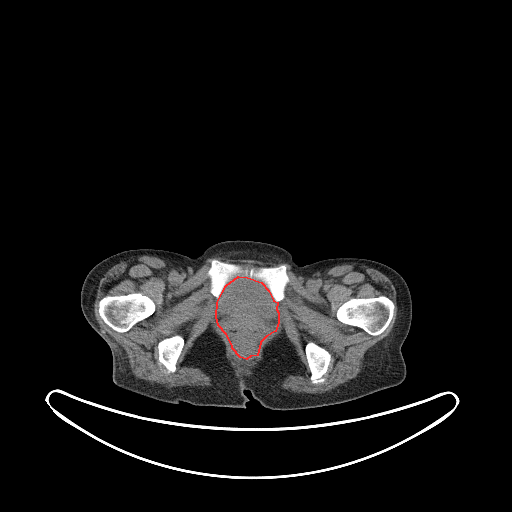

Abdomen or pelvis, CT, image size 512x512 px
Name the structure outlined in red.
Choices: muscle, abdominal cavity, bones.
red: abdominal cavity.
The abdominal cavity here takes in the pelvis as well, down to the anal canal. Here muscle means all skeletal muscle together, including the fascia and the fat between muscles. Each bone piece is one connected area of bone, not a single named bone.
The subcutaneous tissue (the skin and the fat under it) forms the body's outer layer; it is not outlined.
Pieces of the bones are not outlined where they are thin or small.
{"abdominal_cavity":[[[238,276],[247,277],[261,282],[268,290],[273,300],[277,302],[276,309],[278,312],[278,322],[275,331],[266,336],[260,342],[257,355],[250,356],[246,359],[240,357],[232,348],[232,345],[226,334],[218,325],[216,316],[217,302],[222,292],[226,285]]],"torso":[[[227,240],[277,245],[300,265],[328,258],[365,258],[398,272],[412,303],[411,325],[401,347],[404,380],[351,401],[294,410],[265,408],[248,390],[245,408],[232,408],[169,403],[116,385],[111,350],[80,305],[88,272],[124,250],[161,249],[194,258]]],"bones":[[[212,259],[217,259],[226,263],[239,264],[244,268],[249,269],[253,267],[275,267],[285,264],[289,281],[284,289],[284,298],[275,301],[269,290],[261,281],[243,275],[238,275],[231,279],[225,285],[219,297],[215,297],[210,292],[210,278],[207,274]],[[381,295],[386,296],[389,298],[392,301],[394,305],[394,308],[393,309],[393,316],[388,326],[384,331],[380,334],[378,335],[371,335],[359,327],[345,324],[338,320],[336,316],[337,309],[344,302],[349,299],[351,298],[369,298],[370,297],[377,297]],[[136,292],[139,292],[144,295],[148,296],[154,302],[155,304],[155,310],[154,312],[148,317],[137,322],[125,332],[118,332],[112,329],[104,322],[99,314],[99,301],[103,297],[107,295],[111,295],[112,296],[114,295],[125,295],[126,294],[135,293]],[[309,341],[312,341],[318,344],[320,346],[323,347],[326,349],[331,355],[331,358],[330,359],[327,370],[323,375],[323,377],[325,380],[321,383],[317,383],[316,384],[314,384],[312,383],[310,379],[310,370],[308,366],[307,358],[305,353],[305,346]],[[176,334],[182,336],[184,340],[184,343],[181,352],[176,362],[176,369],[175,371],[174,372],[168,373],[166,371],[166,368],[158,359],[159,354],[158,353],[158,347],[157,346],[158,343],[164,338],[166,337],[170,337]]],"muscle":[{"outer":[[144,254],[197,269],[215,256],[268,264],[280,262],[288,264],[297,276],[342,264],[365,265],[387,276],[394,285],[396,321],[391,332],[366,351],[356,377],[321,393],[293,392],[280,386],[288,375],[304,367],[283,332],[263,348],[262,358],[249,373],[238,375],[226,356],[224,343],[210,326],[194,341],[184,362],[202,370],[212,384],[167,387],[135,377],[124,349],[100,327],[93,310],[97,287],[104,274],[126,258]],"holes":[[[212,259],[239,264],[249,269],[286,265],[289,281],[284,289],[284,298],[276,304],[278,312],[277,327],[275,331],[260,342],[255,356],[250,356],[246,359],[240,357],[232,348],[226,334],[217,323],[216,311],[219,299],[210,292],[210,278],[207,274]],[[381,295],[386,296],[389,298],[392,301],[394,305],[394,308],[393,309],[393,316],[388,326],[384,331],[380,334],[378,335],[371,335],[359,327],[345,324],[338,320],[336,316],[337,309],[344,302],[349,299],[351,298],[369,298],[370,297],[377,297]],[[136,292],[139,292],[144,295],[148,296],[154,302],[155,304],[155,310],[154,312],[148,317],[137,322],[125,332],[118,332],[112,329],[104,322],[99,314],[99,301],[103,297],[107,295],[111,295],[112,296],[114,295],[125,295],[126,294],[135,293]],[[309,341],[312,341],[318,344],[320,346],[323,347],[326,349],[331,355],[331,358],[330,359],[327,370],[323,375],[323,377],[325,380],[321,383],[317,383],[316,384],[314,384],[312,383],[310,379],[310,370],[308,366],[307,358],[305,353],[305,346]],[[176,334],[182,336],[184,340],[184,343],[181,352],[176,362],[176,369],[175,371],[174,372],[168,373],[166,371],[166,368],[158,359],[159,354],[158,353],[158,347],[157,346],[158,343],[164,338],[166,337],[170,337]]]}]}